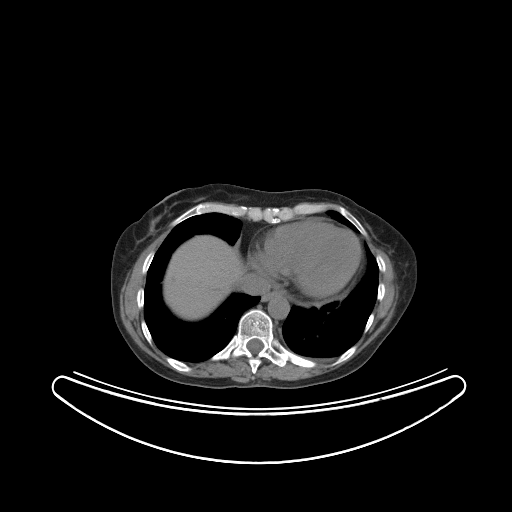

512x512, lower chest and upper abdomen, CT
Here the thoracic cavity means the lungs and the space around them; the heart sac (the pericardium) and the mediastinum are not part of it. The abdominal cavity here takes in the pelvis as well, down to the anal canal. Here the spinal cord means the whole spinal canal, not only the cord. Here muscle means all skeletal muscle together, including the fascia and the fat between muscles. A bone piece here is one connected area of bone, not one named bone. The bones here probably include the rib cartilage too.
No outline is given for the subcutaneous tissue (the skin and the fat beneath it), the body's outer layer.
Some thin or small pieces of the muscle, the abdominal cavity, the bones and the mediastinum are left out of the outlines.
{"bones":[{"outer":[[250,309],[260,309],[265,312],[272,321],[273,332],[279,341],[295,354],[316,362],[316,365],[314,367],[304,367],[287,361],[283,366],[279,366],[267,358],[262,358],[253,374],[248,359],[244,355],[211,360],[210,358],[231,340],[237,331],[241,316]],"hole":[[252,339],[257,339],[258,340],[259,340],[262,343],[262,344],[263,345],[263,346],[262,347],[262,348],[256,354],[253,354],[248,349],[248,348],[247,347],[247,343],[250,340],[251,340]]},[[203,202],[233,204],[236,206],[257,206],[261,208],[291,207],[299,203],[340,205],[361,223],[367,235],[362,235],[350,221],[333,209],[297,215],[293,218],[273,223],[212,211],[191,216],[171,228],[169,224],[172,220],[189,208]],[[167,356],[168,356],[169,357],[171,357],[174,359],[176,359],[179,361],[181,361],[182,362],[184,362],[185,363],[186,363],[191,368],[191,370],[190,371],[178,371],[177,370],[176,370],[174,368],[173,368],[167,362],[167,361],[166,360],[166,357]],[[355,344],[357,346],[357,347],[356,348],[355,351],[353,353],[353,354],[349,358],[348,358],[346,360],[345,360],[344,361],[343,361],[336,365],[331,365],[331,364],[340,355],[341,355],[345,351],[346,351],[349,348],[350,348],[353,345],[354,345]],[[151,251],[154,251],[155,252],[154,253],[154,255],[153,256],[153,258],[149,265],[149,267],[147,270],[147,272],[146,273],[146,274],[143,274],[142,273],[142,266],[143,265],[143,263],[144,262],[144,260],[145,259],[146,256],[148,254],[148,253]],[[144,319],[144,320],[145,321],[145,323],[148,328],[148,330],[151,335],[151,337],[152,338],[152,340],[153,341],[152,342],[152,344],[151,345],[148,343],[148,342],[147,341],[147,340],[143,333],[143,331],[142,330],[142,327],[141,326],[141,321]],[[141,287],[142,288],[143,288],[143,289],[144,290],[144,293],[143,294],[143,299],[144,300],[143,301],[144,302],[143,303],[143,308],[142,309],[140,309],[138,307],[138,306],[137,305],[137,292],[138,291],[138,289],[139,288],[140,288]],[[377,254],[379,254],[382,257],[382,258],[384,260],[384,262],[385,263],[385,271],[384,272],[381,272],[379,270],[379,268],[378,267],[378,264],[377,263],[377,261],[376,260],[376,258],[375,257],[375,256]],[[372,312],[373,312],[373,313],[374,314],[374,317],[373,318],[373,320],[372,321],[372,323],[370,325],[368,330],[365,333],[364,333],[363,332],[363,331],[364,330],[364,328],[366,325],[366,323],[367,322],[367,320],[368,319],[370,314]]],"abdominal_cavity":[[[196,234],[211,234],[221,238],[231,246],[235,244],[234,252],[240,260],[240,272],[239,282],[234,287],[235,290],[239,292],[233,292],[230,294],[206,318],[195,322],[188,322],[174,316],[164,304],[161,292],[161,281],[166,266],[174,250],[182,242]]],"spinal_cord":[[[252,339],[257,339],[258,340],[259,340],[262,343],[262,344],[263,345],[263,346],[262,347],[262,348],[256,354],[253,354],[248,349],[248,348],[247,347],[247,343],[250,340],[251,340]]],"thoracic_cavity":[[[212,212],[239,219],[236,242],[231,245],[211,233],[196,233],[182,241],[171,253],[160,281],[163,304],[177,319],[195,323],[209,317],[233,293],[259,300],[240,316],[225,346],[205,360],[185,362],[167,355],[153,340],[144,318],[146,275],[172,228]],[[366,242],[375,258],[379,273],[376,300],[362,333],[356,342],[337,357],[327,359],[311,359],[297,354],[286,347],[282,336],[282,327],[291,308],[293,306],[304,308],[315,306],[319,308],[334,301],[337,301],[339,304],[366,272],[368,263],[365,250]],[[329,210],[333,210],[334,211],[339,213],[344,218],[345,218],[349,222],[350,222],[356,228],[356,229],[358,231],[355,231],[353,229],[352,229],[344,223],[342,223],[340,221],[339,221],[335,218],[334,218],[328,212],[328,211]]],"pericardium":[[[301,216],[306,218],[323,217],[336,223],[343,224],[353,230],[361,238],[363,246],[363,265],[353,285],[341,298],[324,303],[319,306],[311,304],[298,305],[290,301],[274,284],[253,271],[248,262],[250,241],[260,228],[268,227],[276,222],[285,221]]],"mediastinum":[[[238,218],[271,224],[260,227],[250,239],[247,262],[253,272],[274,285],[290,302],[297,305],[290,308],[282,324],[283,344],[274,332],[271,317],[260,308],[250,308],[259,302],[260,297],[236,290],[241,272],[241,260],[235,252],[242,226]],[[356,232],[359,232],[359,233],[363,236],[363,238],[365,240],[364,243],[364,250],[367,259],[366,269],[364,274],[359,281],[339,303],[339,302],[336,300],[341,299],[351,289],[360,274],[364,265],[364,246],[362,242],[362,238],[360,237]],[[321,212],[327,212],[334,219],[335,219],[337,221],[338,221],[341,223],[339,223],[338,222],[336,222],[327,217],[324,217],[323,216],[308,216],[307,217],[306,217],[305,216],[302,215],[307,215],[308,214],[315,214],[316,213],[320,213]]],"torso":[[[209,183],[229,183],[266,191],[303,188],[331,190],[379,215],[410,243],[417,259],[414,294],[398,323],[361,367],[341,378],[301,388],[208,389],[168,380],[150,370],[136,357],[120,334],[112,313],[110,269],[116,241],[128,225],[166,195],[182,188]]],"muscle":[[[368,232],[373,241],[385,251],[392,263],[395,273],[394,280],[398,286],[398,299],[394,313],[386,327],[350,360],[325,373],[296,380],[272,378],[270,380],[258,379],[239,382],[229,377],[194,377],[178,372],[190,372],[192,368],[187,363],[197,363],[208,359],[211,361],[228,360],[242,356],[246,357],[253,375],[257,372],[262,359],[267,359],[279,367],[290,362],[304,368],[314,368],[317,362],[313,360],[336,358],[330,364],[336,366],[349,359],[358,347],[357,341],[363,333],[365,334],[369,330],[373,323],[375,317],[373,309],[376,301],[380,302],[386,291],[385,284],[379,281],[380,272],[386,271],[386,263],[379,253],[374,255],[372,252],[364,238],[368,235]],[[169,222],[171,229],[157,249],[149,251],[143,260],[141,273],[145,275],[145,283],[144,287],[137,289],[136,305],[143,309],[140,326],[147,343],[151,346],[153,342],[175,370],[151,357],[135,343],[122,322],[119,306],[120,291],[127,274],[142,251]]]}